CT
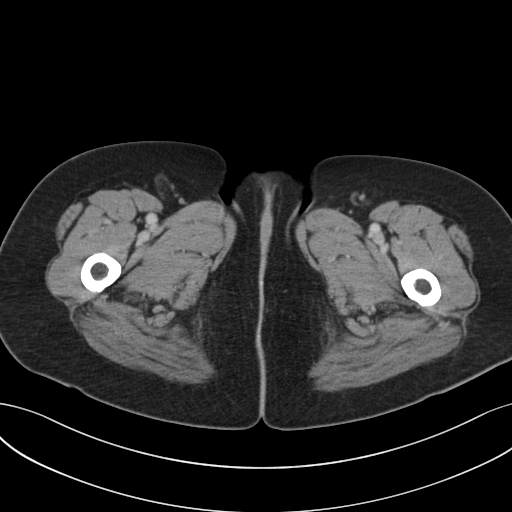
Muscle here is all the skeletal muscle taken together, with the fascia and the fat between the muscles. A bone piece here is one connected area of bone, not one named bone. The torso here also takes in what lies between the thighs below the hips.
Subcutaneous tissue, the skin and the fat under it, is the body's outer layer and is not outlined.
The left leg is outlined by [[341,154],[390,155],[445,166],[482,185],[505,208],[511,216],[511,360],[448,391],[371,418],[298,430],[270,428],[261,420],[265,383],[262,375],[262,357],[257,323],[261,307],[260,257],[282,244],[292,220],[309,202],[310,192],[306,174],[322,159]]. The torso is outlined by [[271,167],[291,169],[301,178],[305,177],[308,191],[306,190],[303,193],[301,209],[291,220],[281,244],[276,248],[265,252],[260,256],[257,242],[255,240],[250,225],[238,214],[234,209],[230,200],[236,183],[247,170],[252,168],[265,169]]. The right leg is outlined by [[138,140],[174,140],[209,146],[218,151],[227,163],[227,177],[220,195],[249,225],[260,260],[260,307],[256,323],[264,396],[260,420],[250,428],[194,427],[119,409],[29,371],[14,359],[0,339],[0,244],[27,195],[50,170],[78,153],[103,145]]. The muscle appears in 2 outlined pieces: piece 1: [[121,183],[150,192],[171,212],[187,203],[212,199],[221,203],[235,220],[231,247],[209,274],[196,304],[182,317],[189,333],[217,370],[207,382],[171,382],[99,354],[78,333],[67,308],[46,286],[47,263],[58,252],[55,227],[61,214],[79,196]], around a hole outlined by [[96,252],[105,252],[107,253],[109,255],[115,258],[121,265],[121,273],[119,277],[113,283],[106,287],[100,292],[93,292],[87,289],[83,285],[81,281],[81,279],[80,278],[80,271],[81,270],[81,267],[82,266],[82,264],[84,260],[88,256]]; piece 2: [[392,199],[429,201],[460,217],[473,249],[472,270],[481,293],[477,307],[468,316],[467,336],[455,353],[377,383],[339,391],[313,390],[307,371],[328,342],[336,318],[321,276],[309,265],[299,247],[296,228],[317,207],[339,207],[360,222],[375,206]], around a hole outlined by [[420,267],[422,268],[425,268],[432,272],[436,276],[440,284],[440,288],[441,289],[441,295],[440,296],[440,298],[436,303],[431,306],[421,306],[414,300],[410,299],[404,292],[400,283],[400,280],[402,276],[406,272],[416,268],[419,268]]. The bones appear in 2 outlined pieces: piece 1: [[96,252],[105,252],[107,253],[109,255],[115,258],[121,265],[121,273],[119,277],[113,283],[106,287],[100,292],[93,292],[87,289],[83,285],[81,281],[81,279],[80,278],[80,271],[81,270],[81,267],[82,266],[82,264],[84,260],[88,256]]; piece 2: [[420,267],[422,268],[425,268],[432,272],[436,276],[440,284],[440,288],[441,289],[441,295],[440,296],[440,298],[436,303],[431,306],[421,306],[414,300],[410,299],[404,292],[400,283],[400,280],[402,276],[406,272],[416,268],[419,268]].